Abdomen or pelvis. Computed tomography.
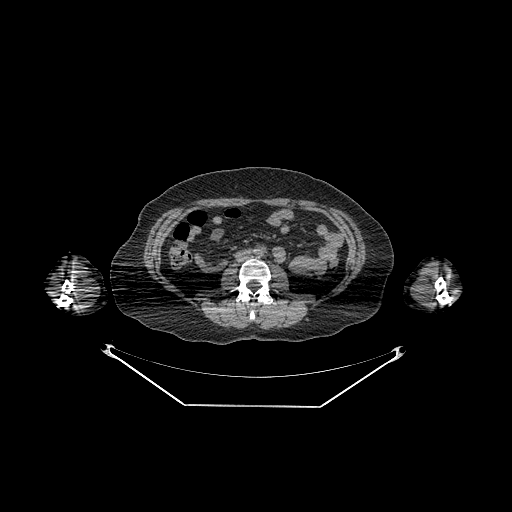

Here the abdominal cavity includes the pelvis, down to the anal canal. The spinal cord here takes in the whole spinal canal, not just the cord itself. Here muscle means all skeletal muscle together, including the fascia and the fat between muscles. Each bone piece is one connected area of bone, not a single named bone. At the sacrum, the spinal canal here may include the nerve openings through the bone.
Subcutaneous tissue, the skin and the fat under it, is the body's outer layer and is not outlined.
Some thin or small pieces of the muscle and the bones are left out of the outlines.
{"left_arm":[[[432,254],[436,254],[443,256],[447,258],[453,264],[461,276],[463,277],[464,291],[462,295],[452,305],[446,308],[443,311],[437,313],[428,314],[410,308],[405,303],[403,298],[403,286],[406,278],[416,267],[417,264],[423,258],[428,255],[431,255]]],"right_arm":[[[68,253],[81,254],[83,255],[101,272],[103,276],[103,282],[107,292],[107,301],[103,307],[89,315],[77,316],[76,315],[72,315],[64,311],[61,308],[56,306],[53,301],[52,296],[49,295],[44,289],[43,283],[47,274],[55,264],[57,260]]],"bones":[{"outer":[[250,257],[261,259],[268,265],[272,275],[268,284],[270,294],[275,301],[274,303],[260,303],[254,306],[255,318],[252,321],[249,319],[249,312],[252,307],[247,302],[241,300],[237,302],[238,293],[236,290],[232,290],[239,283],[238,271],[241,264]],"hole":[[250,281],[256,281],[258,283],[258,284],[259,285],[259,286],[255,290],[252,290],[249,287],[248,287],[248,286],[247,285],[247,284]]},[[66,278],[71,278],[73,282],[74,287],[75,288],[68,294],[70,297],[72,297],[73,298],[73,301],[69,305],[68,308],[65,308],[62,306],[58,306],[58,305],[60,304],[60,301],[58,299],[59,298],[59,295],[61,292],[61,286],[64,280]],[[440,276],[441,276],[444,279],[445,281],[445,287],[446,288],[446,290],[448,294],[451,296],[450,305],[448,304],[445,304],[441,306],[439,302],[436,299],[436,295],[437,294],[437,289],[435,287],[435,282],[438,278],[438,277]]],"abdominal_cavity":[[[250,203],[319,212],[335,224],[348,243],[347,259],[339,281],[317,295],[295,293],[290,289],[288,274],[280,265],[268,264],[255,256],[246,258],[239,267],[237,263],[226,267],[218,287],[188,295],[170,281],[161,271],[161,250],[176,222],[204,207]]],"torso":[[[247,166],[292,169],[322,179],[354,199],[382,225],[393,248],[394,263],[384,289],[382,305],[372,317],[350,325],[336,334],[299,342],[249,339],[220,345],[186,341],[148,328],[117,308],[109,278],[110,262],[134,228],[143,206],[168,187],[194,175]]],"muscle":[{"outer":[[240,196],[246,198],[288,197],[292,199],[306,199],[340,209],[347,213],[359,228],[365,245],[366,258],[361,270],[337,297],[321,303],[315,307],[299,323],[290,327],[283,329],[261,329],[255,326],[247,327],[242,330],[233,330],[214,324],[206,318],[197,308],[176,297],[173,292],[169,291],[162,283],[152,277],[143,263],[142,257],[144,246],[150,228],[156,219],[165,211],[174,207],[182,206],[198,199]],"hole":[[250,203],[319,212],[335,224],[348,243],[339,281],[317,295],[295,293],[286,271],[270,262],[275,302],[254,306],[252,321],[252,307],[237,302],[232,290],[237,263],[225,268],[218,287],[190,295],[170,281],[161,271],[161,250],[176,222],[204,207]]},[[74,259],[88,266],[92,276],[99,283],[102,290],[101,296],[97,302],[90,309],[83,311],[67,309],[74,301],[74,298],[69,294],[76,288],[71,277],[66,277],[60,286],[57,299],[59,304],[57,304],[48,293],[48,283],[51,275],[62,265]],[[439,260],[442,261],[454,274],[456,284],[458,287],[458,294],[451,304],[452,296],[449,294],[447,290],[445,279],[440,275],[434,282],[434,287],[436,289],[435,299],[441,307],[447,305],[438,309],[428,309],[412,299],[411,288],[423,265],[429,262]]],"spinal_cord":[[[250,281],[256,281],[258,283],[258,284],[259,285],[259,286],[255,290],[252,290],[249,287],[248,287],[248,286],[247,285],[247,284]]]}